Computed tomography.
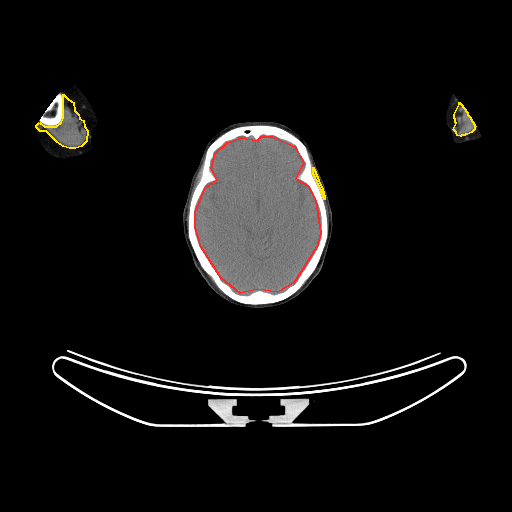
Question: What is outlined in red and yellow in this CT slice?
Answer: red: brain; yellow: muscle.
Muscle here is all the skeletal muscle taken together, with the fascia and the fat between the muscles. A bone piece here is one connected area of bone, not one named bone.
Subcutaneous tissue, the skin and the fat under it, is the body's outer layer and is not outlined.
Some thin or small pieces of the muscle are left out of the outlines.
The brain is outlined by [[261,136],[272,136],[294,146],[303,162],[295,178],[307,185],[315,200],[320,233],[316,247],[293,283],[277,292],[257,289],[240,293],[221,278],[201,247],[195,227],[195,212],[205,187],[217,179],[211,168],[215,153],[227,142],[241,137],[257,140]]. The muscle appears in 3 outlined pieces: piece 1: [[63,94],[68,99],[73,102],[74,110],[78,114],[79,118],[83,120],[84,126],[87,130],[86,141],[81,146],[75,148],[69,148],[63,146],[57,142],[46,131],[40,131],[36,127],[36,125],[39,122],[44,126],[56,126],[61,122],[63,118]]; piece 2: [[459,102],[465,109],[465,110],[467,112],[467,114],[469,116],[475,126],[474,127],[474,129],[471,132],[467,134],[465,134],[464,135],[461,135],[460,136],[457,135],[456,132],[453,129],[456,123],[455,122],[455,119],[454,118],[454,114],[459,104]]; piece 3: [[313,167],[313,168],[315,171],[315,173],[317,176],[318,181],[322,188],[322,190],[323,191],[323,194],[324,195],[324,199],[324,198],[323,197],[323,195],[321,192],[321,190],[320,189],[320,188],[317,183],[317,181],[315,179],[315,177],[313,174]]. The right arm is outlined by [[69,82],[73,82],[76,84],[86,96],[95,112],[98,120],[98,124],[93,130],[92,134],[92,144],[93,145],[91,150],[85,155],[77,157],[71,160],[62,161],[50,156],[43,149],[34,136],[33,131],[46,108],[55,96]]. The left arm is outlined by [[451,94],[453,94],[455,96],[467,112],[467,114],[473,122],[474,125],[477,128],[481,136],[480,139],[475,140],[474,141],[464,142],[463,143],[455,143],[453,141],[452,139],[452,134],[446,125],[446,122],[445,121],[446,109],[447,108],[447,105]]. The bones appear in 2 outlined pieces: piece 1: [[244,125],[274,125],[293,134],[304,144],[312,164],[312,174],[324,200],[328,221],[327,239],[320,259],[310,276],[288,297],[265,304],[242,303],[220,290],[200,265],[188,237],[189,203],[192,192],[201,178],[201,167],[205,153],[211,143],[223,133]]; inner edge: [[261,136],[272,136],[294,146],[303,162],[295,178],[307,185],[315,200],[320,233],[316,247],[293,283],[277,292],[257,289],[240,293],[221,278],[201,247],[195,227],[195,212],[205,187],[217,179],[211,168],[215,153],[227,142],[241,137],[257,140]]; piece 2: [[59,93],[61,93],[62,94],[62,118],[61,119],[60,122],[56,125],[44,125],[40,121],[39,121],[39,119],[40,118],[40,117],[44,113],[44,111],[49,105],[49,104],[52,101],[52,100],[55,97],[55,96]]. The head is outlined by [[262,120],[285,124],[306,141],[327,192],[332,211],[333,225],[325,261],[321,271],[310,285],[299,296],[283,305],[270,308],[252,309],[228,303],[214,293],[201,277],[192,262],[186,245],[182,226],[182,212],[192,176],[208,141],[216,133],[232,123]].